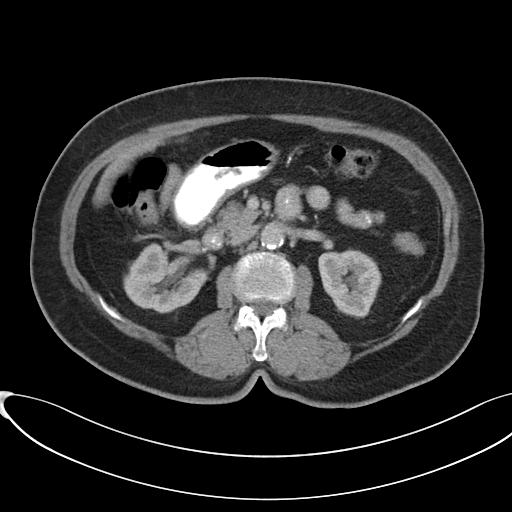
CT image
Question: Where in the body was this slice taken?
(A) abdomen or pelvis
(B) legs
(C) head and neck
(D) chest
Answer: (A) abdomen or pelvis
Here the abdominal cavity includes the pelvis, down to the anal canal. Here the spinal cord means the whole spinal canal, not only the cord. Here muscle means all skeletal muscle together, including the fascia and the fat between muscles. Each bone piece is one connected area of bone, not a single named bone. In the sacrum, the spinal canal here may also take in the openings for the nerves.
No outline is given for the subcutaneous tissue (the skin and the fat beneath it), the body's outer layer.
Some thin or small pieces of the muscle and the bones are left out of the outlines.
{"bones":[{"outer":[[253,252],[277,254],[293,266],[295,273],[293,296],[283,305],[287,328],[283,330],[273,327],[267,333],[265,348],[268,355],[263,361],[257,361],[252,355],[256,344],[253,330],[249,326],[236,331],[233,328],[242,302],[234,293],[232,273],[238,260]],"hole":[[256,299],[264,299],[265,300],[272,301],[274,302],[277,305],[277,306],[272,311],[272,312],[270,314],[268,314],[264,316],[259,316],[255,313],[254,313],[253,311],[253,308],[249,304],[250,302]]},[[97,293],[99,293],[101,295],[101,296],[103,298],[103,299],[107,303],[107,304],[115,311],[116,311],[124,319],[124,320],[123,321],[118,320],[117,319],[112,317],[103,309],[103,308],[101,306],[101,305],[99,302],[99,300],[97,297]],[[422,296],[423,297],[423,300],[422,301],[422,303],[420,307],[404,322],[401,323],[401,319],[402,317],[406,313],[406,312],[407,312],[408,310],[409,310],[410,308],[411,308],[414,305],[414,304],[418,300],[418,299]]],"abdominal_cavity":[[[257,118],[382,143],[403,156],[435,191],[443,217],[437,277],[384,335],[342,339],[309,312],[314,285],[310,269],[303,263],[295,267],[273,252],[249,252],[225,265],[215,278],[217,309],[176,336],[122,315],[78,268],[78,212],[106,164],[146,140]]],"torso":[[[242,76],[339,82],[397,96],[425,112],[454,148],[483,214],[485,274],[475,331],[460,356],[437,377],[351,408],[319,408],[280,397],[261,377],[238,401],[187,403],[103,372],[49,325],[30,280],[31,228],[41,187],[68,141],[98,112],[128,97]]],"spinal_cord":[[[256,299],[264,299],[265,300],[272,301],[274,302],[277,305],[277,306],[272,311],[272,312],[270,314],[268,314],[264,316],[259,316],[255,313],[254,313],[253,311],[253,308],[249,304],[250,302]]],"muscle":[[[254,113],[331,116],[401,134],[414,141],[431,158],[451,186],[458,203],[458,260],[442,293],[408,334],[349,363],[323,380],[286,381],[272,372],[264,362],[269,355],[266,348],[268,333],[273,328],[283,331],[288,328],[284,305],[295,293],[294,267],[303,264],[312,276],[308,312],[325,321],[342,340],[364,342],[384,336],[400,319],[400,323],[404,323],[421,307],[423,295],[433,287],[438,277],[444,256],[444,234],[449,232],[450,219],[445,221],[444,228],[442,206],[436,191],[403,155],[382,142],[352,133],[324,131],[301,123],[260,117],[245,118],[146,139],[116,155],[94,176],[77,212],[73,251],[77,268],[97,292],[96,297],[102,309],[118,321],[123,322],[123,316],[159,334],[182,336],[201,318],[218,309],[216,278],[225,266],[233,266],[233,293],[241,304],[232,328],[236,332],[247,327],[252,330],[255,344],[251,355],[257,362],[261,362],[253,363],[237,378],[216,380],[194,373],[150,344],[121,332],[73,286],[60,259],[60,220],[65,200],[83,168],[103,150],[155,124],[203,116]]]}